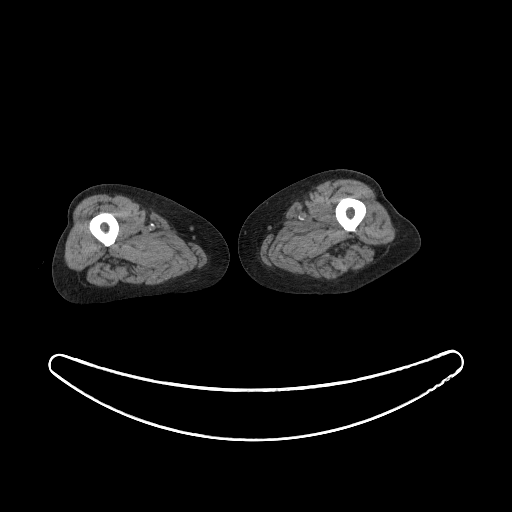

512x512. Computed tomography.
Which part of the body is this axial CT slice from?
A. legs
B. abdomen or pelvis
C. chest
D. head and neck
Answer: A. legs
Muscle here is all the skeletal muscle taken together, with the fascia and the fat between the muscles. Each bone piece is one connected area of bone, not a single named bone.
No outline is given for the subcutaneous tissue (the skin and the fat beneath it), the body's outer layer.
{"right_leg":[[[100,183],[120,183],[150,190],[176,201],[208,220],[221,233],[229,249],[229,264],[221,279],[210,287],[191,292],[143,296],[84,305],[71,303],[64,299],[57,292],[52,281],[51,264],[54,250],[57,241],[67,224],[67,210],[72,199],[85,188]]],"left_leg":[[[336,168],[353,169],[372,177],[380,185],[386,198],[416,227],[421,238],[420,249],[407,261],[385,275],[355,291],[348,293],[318,295],[284,293],[267,288],[256,282],[243,268],[238,256],[237,249],[238,234],[247,216],[260,203],[282,188],[317,172]]],"bones":[[[348,196],[351,196],[356,199],[358,199],[362,201],[364,203],[366,207],[366,213],[363,219],[357,226],[355,231],[347,231],[345,230],[338,222],[335,216],[335,207],[338,203],[339,200],[341,198],[343,198],[344,197],[347,197]],[[100,212],[110,212],[112,213],[116,218],[118,222],[118,224],[119,225],[119,230],[118,231],[117,236],[115,239],[115,241],[111,245],[109,246],[105,246],[100,241],[99,241],[91,233],[89,229],[89,222],[91,218]]],"muscle":[{"outer":[[341,178],[359,180],[368,185],[374,191],[379,202],[386,209],[395,228],[395,238],[389,244],[388,250],[363,269],[357,272],[350,272],[338,281],[296,279],[274,272],[260,258],[260,248],[265,237],[281,221],[281,215],[294,201],[326,180]],"hole":[[348,196],[351,196],[356,199],[358,199],[362,201],[364,203],[366,207],[366,213],[363,219],[357,226],[355,231],[347,231],[345,230],[338,222],[335,216],[335,207],[338,203],[339,200],[341,198],[343,198],[344,197],[347,197]]},{"outer":[[104,191],[121,193],[150,207],[169,221],[177,232],[193,239],[201,245],[208,256],[207,264],[204,267],[194,269],[182,276],[152,286],[117,285],[108,288],[98,288],[88,287],[81,284],[65,263],[65,243],[73,226],[73,212],[76,206],[84,198]],"hole":[[100,212],[110,212],[112,213],[116,218],[118,222],[118,224],[119,225],[119,230],[118,231],[117,236],[115,239],[115,241],[111,245],[109,246],[105,246],[100,241],[99,241],[91,233],[89,229],[89,222],[91,218]]}]}